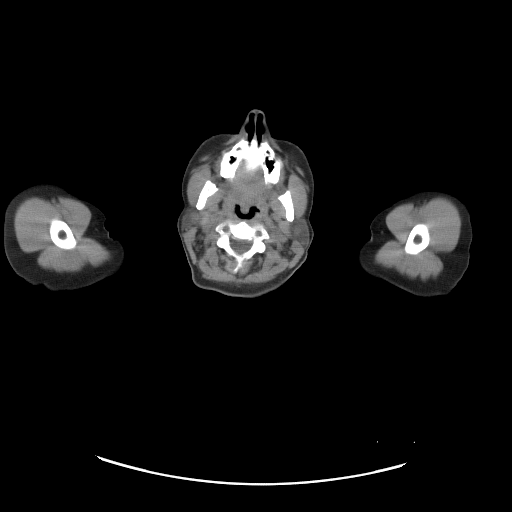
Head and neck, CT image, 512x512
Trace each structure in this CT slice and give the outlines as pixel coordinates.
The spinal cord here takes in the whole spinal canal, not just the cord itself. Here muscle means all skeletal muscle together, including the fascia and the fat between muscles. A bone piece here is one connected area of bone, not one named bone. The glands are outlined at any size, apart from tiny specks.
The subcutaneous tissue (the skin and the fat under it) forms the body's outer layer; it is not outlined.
{"left_arm":[[[426,188],[437,188],[449,191],[465,202],[469,209],[473,230],[473,237],[469,250],[469,264],[466,271],[456,286],[448,294],[435,297],[418,297],[381,279],[373,277],[361,269],[357,259],[359,249],[370,237],[369,226],[372,219],[381,210],[396,200]]],"parotid_glands":[[[302,217],[303,217],[305,219],[305,221],[307,224],[308,231],[309,232],[309,235],[308,236],[307,242],[304,245],[300,243],[300,242],[298,241],[297,239],[296,239],[295,236],[291,232],[291,226],[293,224],[293,223],[297,219],[301,218]],[[189,206],[190,206],[195,211],[196,211],[196,213],[197,214],[197,218],[196,219],[196,221],[194,223],[194,224],[193,225],[192,225],[186,230],[185,229],[183,229],[183,228],[182,227],[182,218],[183,217],[183,216],[184,215],[186,210],[189,207]]],"bones":[[[254,134],[259,141],[265,139],[274,150],[276,155],[282,160],[279,179],[276,183],[267,185],[264,182],[263,172],[260,168],[254,172],[247,172],[239,167],[232,179],[225,178],[220,174],[220,161],[222,152],[229,150],[241,138],[244,137],[250,140]],{"outer":[[228,219],[234,223],[243,219],[250,225],[257,223],[262,224],[269,235],[269,238],[263,241],[265,245],[264,251],[261,253],[257,252],[250,258],[245,260],[242,267],[236,273],[232,271],[236,264],[235,260],[216,243],[219,233],[216,231],[215,227]],"hole":[[231,239],[236,239],[237,240],[246,240],[247,241],[251,241],[251,246],[247,250],[246,250],[244,252],[243,252],[242,253],[237,253],[231,247]]},[[53,218],[57,218],[58,219],[63,220],[69,226],[69,227],[70,228],[70,229],[76,240],[76,245],[74,248],[73,248],[72,249],[62,249],[61,248],[58,247],[52,241],[52,240],[50,237],[50,234],[49,233],[49,226],[50,225],[50,222]],[[417,223],[424,223],[427,225],[428,231],[429,232],[429,235],[430,236],[430,240],[429,241],[428,245],[424,249],[423,249],[417,254],[408,254],[404,251],[404,246],[405,245],[406,240],[408,237],[408,235],[411,229],[413,227],[413,226]],[[208,179],[212,181],[216,185],[218,189],[213,194],[210,195],[207,198],[205,202],[205,205],[204,207],[202,209],[199,210],[196,208],[196,202],[197,201],[197,199],[198,198],[199,193],[205,181]],[[288,189],[291,193],[291,197],[292,198],[292,201],[293,202],[293,206],[294,207],[294,218],[292,221],[288,221],[286,219],[285,217],[285,209],[283,205],[281,203],[281,202],[278,199],[278,196],[280,194],[283,193],[286,190]]],"spinal_cord":[[[231,239],[236,239],[237,240],[246,240],[247,241],[251,241],[251,246],[247,250],[246,250],[244,252],[243,252],[242,253],[237,253],[231,247]]],"right_arm":[[[42,181],[54,182],[63,186],[80,198],[91,202],[104,213],[104,225],[109,234],[113,238],[118,239],[125,249],[125,261],[117,273],[81,289],[52,292],[42,285],[31,285],[13,271],[6,258],[3,248],[4,211],[8,201],[18,191],[26,186]]],"head_and_neck":[{"outer":[[254,108],[264,112],[272,136],[295,143],[307,157],[314,180],[313,204],[310,213],[314,235],[305,261],[283,285],[257,297],[243,298],[202,289],[193,283],[176,223],[183,205],[181,195],[183,174],[196,148],[211,135],[222,132],[236,133],[247,112]],"holes":[[[251,115],[252,115],[253,116],[253,134],[252,135],[252,137],[250,139],[249,139],[248,138],[248,132],[247,131],[247,126],[248,125],[248,124],[249,123],[249,120],[250,119],[250,117],[251,116]],[[259,115],[260,115],[261,116],[261,125],[262,126],[262,128],[263,129],[263,130],[261,133],[261,135],[260,136],[260,139],[259,140],[257,137],[257,134],[256,133],[256,129],[257,128],[257,119],[258,118],[258,116]],[[237,208],[238,208],[238,209],[242,213],[243,213],[244,214],[247,213],[251,209],[251,208],[253,208],[255,210],[253,212],[253,215],[252,215],[251,216],[251,217],[244,218],[243,217],[240,217],[237,214],[237,213],[236,212],[236,211],[237,210]]]}],"muscle":[{"outer":[[241,135],[244,136],[229,149],[221,152],[219,174],[223,178],[232,180],[239,168],[247,173],[260,169],[263,182],[267,186],[276,184],[280,179],[283,160],[265,138],[268,138],[299,160],[304,170],[308,193],[303,216],[290,226],[290,232],[303,246],[303,253],[296,264],[271,281],[237,286],[201,277],[192,262],[184,239],[184,230],[193,226],[198,218],[197,211],[189,205],[187,196],[188,176],[196,161],[214,146]],"holes":[[[228,219],[234,223],[243,219],[250,225],[257,223],[262,224],[269,235],[269,238],[263,241],[265,245],[264,251],[261,253],[257,252],[250,258],[245,260],[242,267],[236,273],[232,271],[236,264],[235,260],[216,243],[219,233],[216,231],[215,227]],[[208,179],[212,181],[216,185],[218,189],[213,194],[210,195],[207,198],[205,202],[205,205],[204,207],[202,209],[199,210],[196,208],[196,202],[197,201],[197,199],[198,198],[199,193],[205,181]],[[288,189],[291,193],[291,197],[292,198],[292,201],[293,202],[293,206],[294,207],[294,218],[292,221],[288,221],[286,219],[285,217],[285,209],[283,205],[281,203],[281,202],[278,199],[278,196],[280,194],[283,193],[286,190]],[[237,208],[238,208],[238,209],[242,213],[243,213],[244,214],[247,213],[251,209],[251,208],[253,208],[255,210],[253,212],[253,215],[252,215],[251,216],[251,217],[244,218],[243,217],[240,217],[237,214],[237,213],[236,212],[236,211],[237,210]]]},{"outer":[[36,193],[68,196],[86,205],[92,214],[91,218],[92,228],[97,237],[109,249],[112,254],[112,258],[96,269],[71,273],[68,272],[61,273],[41,268],[30,259],[20,249],[18,245],[14,231],[13,217],[15,209],[18,204],[25,197]],"hole":[[53,218],[57,218],[58,219],[63,220],[69,226],[69,227],[70,228],[70,229],[76,240],[76,245],[74,248],[73,248],[72,249],[62,249],[61,248],[58,247],[52,241],[52,240],[50,237],[50,234],[49,233],[49,226],[50,225],[50,222]]},{"outer":[[437,196],[442,196],[450,199],[459,209],[462,221],[458,243],[454,250],[446,258],[444,268],[440,276],[426,281],[418,282],[399,276],[388,269],[374,263],[373,255],[376,251],[376,247],[385,223],[386,215],[395,207],[403,203],[416,202]],"hole":[[417,223],[424,223],[427,225],[428,231],[429,232],[429,235],[430,236],[430,240],[429,241],[428,245],[424,249],[423,249],[417,254],[408,254],[404,251],[404,246],[405,245],[406,240],[408,237],[408,235],[411,229],[413,227],[413,226]]}]}